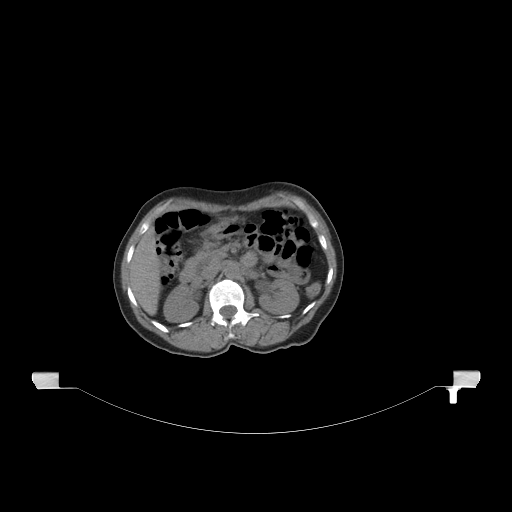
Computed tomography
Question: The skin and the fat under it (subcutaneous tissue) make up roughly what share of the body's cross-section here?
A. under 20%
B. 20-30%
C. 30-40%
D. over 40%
Answer: A. under 20%
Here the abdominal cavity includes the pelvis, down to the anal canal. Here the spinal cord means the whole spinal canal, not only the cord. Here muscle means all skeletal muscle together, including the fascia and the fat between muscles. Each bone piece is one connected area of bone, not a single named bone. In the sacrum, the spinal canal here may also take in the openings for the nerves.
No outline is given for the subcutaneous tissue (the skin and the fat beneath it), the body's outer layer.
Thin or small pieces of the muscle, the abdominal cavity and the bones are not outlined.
The torso is outlined by (269, 180) (292, 182) (311, 192) (328, 214) (341, 242) (344, 255) (341, 289) (314, 337) (305, 344) (269, 353) (255, 353) (231, 345) (226, 352) (208, 358) (170, 353) (142, 339) (125, 321) (112, 281) (117, 247) (139, 208) (158, 192) (171, 187) (193, 185) (228, 190). The spinal cord is outlined by (224, 306) (233, 306) (234, 307) (235, 307) (235, 308) (236, 309) (236, 311) (235, 312) (235, 313) (229, 319) (227, 319) (226, 318) (225, 318) (220, 313) (220, 309) (222, 307) (223, 307). The abdominal cavity is outlined by (266, 207) (289, 207) (303, 212) (324, 252) (327, 272) (323, 287) (301, 311) (279, 318) (266, 313) (256, 307) (246, 285) (243, 287) (226, 277) (211, 285) (201, 314) (177, 326) (166, 326) (142, 309) (132, 289) (130, 264) (138, 243) (157, 215) (187, 208) (247, 212). The muscle is outlined by (276, 191) (286, 191) (304, 198) (306, 201) (320, 214) (329, 230) (330, 237) (331, 238) (331, 243) (335, 251) (337, 271) (336, 272) (336, 278) (335, 279) (334, 284) (327, 298) (319, 307) (316, 311) (314, 316) (309, 322) (300, 327) (285, 340) (275, 344) (272, 344) (267, 346) (258, 346) (257, 345) (250, 346) (249, 345) (246, 345) (243, 343) (241, 343) (237, 340) (231, 339) (219, 349) (214, 349) (211, 351) (204, 352) (203, 351) (192, 351) (191, 350) (186, 350) (185, 349) (182, 349) (181, 348) (176, 347) (166, 341) (157, 334) (145, 328) (137, 320) (129, 305) (129, 302) (126, 297) (126, 295) (122, 290) (122, 287) (121, 286) (121, 276) (120, 275) (121, 274) (121, 261) (122, 260) (122, 257) (123, 256) (123, 253) (124, 252) (125, 247) (127, 244) (127, 242) (129, 238) (131, 236) (132, 233) (141, 219) (152, 207) (160, 201) (171, 197) (194, 198) (196, 200) (198, 200) (199, 201) (205, 201) (206, 202) (216, 203) (217, 204) (223, 204) (224, 205) (240, 205) (241, 204) (245, 204) (248, 202) (250, 202) (251, 201) (259, 199) (262, 197) (267, 196), around a hole outlined by (293, 198) (299, 199) (318, 222) (314, 230) (317, 235) (321, 234) (325, 238) (327, 247) (323, 251) (327, 268) (332, 268) (330, 282) (323, 284) (321, 292) (313, 300) (314, 305) (304, 314) (300, 311) (280, 319) (266, 313) (256, 307) (254, 296) (245, 285) (242, 288) (243, 307) (259, 315) (251, 317) (245, 325) (235, 324) (231, 328) (234, 337) (229, 338) (227, 326) (210, 323) (213, 312) (207, 294) (201, 314) (192, 320) (192, 324) (183, 327) (167, 326) (168, 332) (156, 327) (140, 305) (135, 306) (129, 300) (127, 288) (132, 287) (132, 282) (131, 262) (126, 260) (128, 250) (131, 245) (136, 250) (144, 235) (139, 233) (141, 225) (165, 203) (162, 212) (187, 208) (208, 212) (247, 212) (266, 207) (300, 210). The bones appear in 10 outlined pieces: piece 1: (226, 278) (236, 281) (242, 287) (244, 292) (244, 309) (248, 312) (259, 313) (259, 315) (251, 317) (245, 325) (235, 324) (231, 328) (234, 335) (233, 338) (228, 337) (229, 328) (227, 326) (217, 323) (212, 325) (210, 323) (213, 312) (209, 302) (209, 290) (213, 284) with a hole at (224, 306) (233, 306) (234, 307) (235, 307) (235, 308) (236, 309) (236, 311) (235, 312) (235, 313) (229, 319) (227, 319) (226, 318) (225, 318) (220, 313) (220, 309) (222, 307) (223, 307); piece 2: (293, 198) (297, 198) (299, 199) (304, 205) (304, 207) (306, 209) (306, 210) (312, 214) (314, 218) (318, 222) (318, 225) (316, 228) (314, 228) (310, 224) (310, 222) (308, 219) (308, 217) (306, 215) (305, 212) (302, 209) (301, 209) (293, 201); piece 3: (128, 286) (130, 286) (130, 287) (133, 292) (133, 294) (135, 297) (135, 299) (138, 304) (138, 305) (137, 306) (135, 306) (134, 305) (133, 305) (133, 304) (129, 300) (129, 298) (128, 297) (128, 295) (127, 294) (127, 288) (128, 287); piece 4: (152, 319) (153, 319) (154, 320) (156, 320) (158, 322) (159, 322) (160, 323) (161, 323) (162, 324) (163, 324) (168, 329) (168, 332) (164, 332) (163, 331) (162, 331) (160, 329) (159, 329) (157, 327) (156, 327) (151, 322) (151, 320); piece 5: (150, 218) (151, 218) (151, 221) (150, 222) (150, 223) (149, 224) (149, 227) (146, 230) (146, 231) (144, 233) (143, 233) (142, 234) (140, 234) (139, 233) (139, 230) (140, 229) (140, 227) (141, 226) (141, 225) (144, 222) (145, 222) (147, 220) (148, 220); piece 6: (321, 234) (324, 236) (324, 237) (325, 238) (325, 240) (326, 241) (326, 244) (327, 245) (327, 247) (325, 250) (324, 250) (322, 248) (322, 247) (321, 246) (321, 245) (320, 244) (320, 243) (318, 240) (318, 235) (320, 235); piece 7: (131, 245) (134, 245) (134, 251) (133, 252) (133, 254) (132, 255) (132, 257) (131, 258) (131, 259) (130, 260) (130, 261) (128, 263) (127, 262) (127, 261) (126, 260) (126, 258) (127, 257) (127, 253) (128, 252) (128, 250) (129, 249) (129, 248) (130, 247) (130, 246); piece 8: (330, 267) (331, 267) (332, 268) (332, 275) (331, 276) (331, 280) (330, 281) (330, 282) (328, 284) (326, 284) (325, 283) (325, 282) (326, 281) (326, 277) (327, 276) (327, 273) (328, 272) (328, 269); piece 9: (312, 301) (315, 301) (315, 303) (314, 304) (314, 305) (311, 308) (310, 308) (304, 314) (302, 314) (301, 313) (302, 312) (302, 311) (303, 310) (303, 309) (308, 304) (309, 304); piece 10: (165, 203) (167, 203) (167, 204) (166, 205) (166, 206) (161, 211) (160, 211) (154, 217) (152, 217) (154, 215) (154, 214) (155, 213) (155, 212) (157, 210) (157, 209) (159, 207) (160, 207) (162, 205) (163, 205).